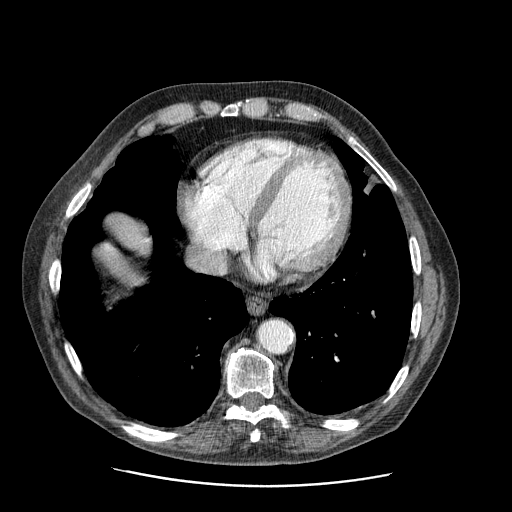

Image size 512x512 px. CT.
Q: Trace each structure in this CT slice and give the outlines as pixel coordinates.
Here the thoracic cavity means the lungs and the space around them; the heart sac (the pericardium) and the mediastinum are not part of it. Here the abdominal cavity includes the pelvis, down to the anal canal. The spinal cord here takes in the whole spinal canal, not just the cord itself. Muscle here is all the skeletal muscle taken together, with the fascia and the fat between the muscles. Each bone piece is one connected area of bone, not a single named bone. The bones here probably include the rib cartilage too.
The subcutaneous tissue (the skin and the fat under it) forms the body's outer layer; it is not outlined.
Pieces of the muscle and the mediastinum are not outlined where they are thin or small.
A: Outlines (x, y in pixels):
thoracic cavity 1: [[153,133],[174,138],[173,153],[182,163],[175,211],[185,237],[186,266],[230,282],[241,291],[249,315],[246,325],[222,346],[220,382],[208,408],[191,422],[173,427],[126,413],[94,389],[67,338],[58,303],[62,246],[70,221],[85,207],[119,153]], around a hole outlined by [[114,210],[127,212],[143,220],[151,237],[152,253],[145,267],[149,271],[149,281],[145,285],[136,288],[129,297],[121,299],[108,310],[104,304],[105,296],[102,292],[103,282],[92,259],[92,248],[105,238],[106,235],[102,228],[102,220],[106,214]]
thoracic cavity 2: [[336,135],[392,193],[407,235],[413,304],[402,364],[388,388],[374,400],[350,411],[324,415],[308,411],[293,400],[288,377],[296,348],[295,326],[286,317],[272,313],[269,305],[276,296],[302,291],[319,278],[338,257],[350,234],[352,186],[333,148]]
spinal cord: [[250,392],[255,392],[256,393],[258,393],[260,394],[263,397],[264,399],[264,402],[262,404],[261,404],[255,410],[250,410],[249,409],[247,409],[242,404],[241,404],[239,402],[239,400],[240,398],[243,395],[244,395],[246,393],[249,393]]
bones 1: [[239,347],[257,350],[274,363],[275,392],[272,400],[285,413],[289,424],[287,428],[284,428],[272,417],[261,419],[256,425],[260,432],[259,440],[256,442],[250,440],[250,433],[254,428],[250,422],[220,418],[230,401],[225,391],[227,359],[230,353]]; inner edge: [[250,392],[255,392],[256,393],[258,393],[260,394],[263,397],[264,399],[264,402],[262,404],[261,404],[255,410],[250,410],[249,409],[247,409],[242,404],[241,404],[239,402],[239,400],[240,398],[243,395],[244,395],[246,393],[249,393]]
bones 2: [[249,97],[263,97],[268,101],[270,113],[262,118],[243,115],[220,116],[217,114],[207,116],[200,114],[171,126],[158,123],[150,134],[144,136],[138,133],[138,129],[142,125],[154,120],[164,109],[174,104],[190,102],[196,105],[206,100],[224,106]]
bones 3: [[113,418],[117,418],[122,420],[131,420],[140,424],[146,424],[149,425],[156,429],[177,431],[180,432],[181,434],[177,437],[161,442],[158,441],[145,441],[136,436],[131,436],[129,435],[120,426],[120,424],[118,422],[113,420]]
bones 4: [[349,136],[353,136],[356,139],[356,140],[359,143],[360,143],[360,144],[363,146],[385,169],[385,170],[390,175],[396,184],[398,192],[396,193],[392,192],[389,187],[381,179],[381,178],[366,162],[366,161],[347,144],[347,140]]
bones 5: [[289,102],[299,102],[300,103],[306,104],[308,106],[319,111],[325,115],[326,116],[326,118],[325,119],[321,119],[320,121],[318,122],[311,122],[310,121],[299,121],[293,118],[286,117],[284,116],[282,113],[282,108],[284,104],[288,103]]
bones 6: [[86,182],[90,182],[92,185],[92,190],[90,194],[88,196],[86,201],[83,204],[83,205],[81,207],[79,211],[70,220],[65,220],[64,219],[64,216],[65,215],[65,212],[68,206],[68,204],[70,202],[73,196]]
bones 7: [[349,417],[356,417],[360,420],[360,424],[357,427],[349,431],[342,431],[341,430],[333,430],[332,429],[329,429],[328,428],[322,427],[320,425],[320,423],[322,421],[322,420],[324,419],[327,419],[328,418],[334,418],[335,419],[345,419]]
bones 8: [[56,257],[57,257],[60,259],[60,263],[61,264],[61,278],[60,279],[60,289],[59,290],[59,293],[57,296],[55,296],[53,294],[53,293],[50,288],[50,286],[49,285],[49,280],[48,279],[48,270],[49,269],[50,264],[51,263],[52,260]]
bones 9: [[411,234],[415,236],[417,240],[417,242],[419,246],[419,250],[420,251],[420,257],[421,258],[421,271],[419,275],[416,275],[414,274],[413,270],[412,269],[412,264],[411,263],[411,256],[410,255],[410,251],[409,250],[409,243],[408,242],[408,237]]
bones 10: [[65,339],[68,340],[68,341],[71,344],[71,345],[73,347],[81,363],[81,365],[82,366],[82,369],[83,370],[82,371],[85,377],[85,380],[82,380],[77,375],[77,374],[74,371],[73,368],[71,366],[65,354],[65,352],[63,348],[63,342]]
bones 11: [[404,363],[409,363],[409,370],[408,371],[408,373],[404,381],[402,383],[400,387],[396,391],[396,392],[385,403],[383,404],[382,403],[382,401],[383,399],[387,395],[387,390],[389,388],[396,374]]
bones 12: [[417,300],[420,300],[421,302],[421,318],[420,319],[420,323],[419,324],[419,329],[418,330],[417,336],[416,338],[412,338],[411,337],[411,332],[410,331],[410,327],[411,326],[411,316],[412,315],[412,309],[413,308],[413,305],[415,301]]
muscle 1: [[177,102],[137,129],[142,136],[118,153],[84,207],[93,190],[90,181],[67,204],[63,219],[69,222],[61,255],[51,260],[47,270],[48,285],[57,297],[59,319],[66,336],[62,342],[64,354],[76,375],[82,381],[86,378],[106,402],[137,419],[168,428],[189,424],[209,408],[218,394],[226,361],[224,391],[229,401],[219,418],[250,423],[252,443],[260,440],[257,425],[263,419],[272,418],[284,429],[290,426],[286,413],[273,400],[276,371],[290,398],[311,413],[325,416],[350,412],[386,391],[381,401],[385,404],[409,373],[410,363],[403,363],[406,348],[410,335],[417,338],[422,318],[422,302],[420,299],[414,302],[413,298],[413,275],[419,276],[422,271],[420,246],[416,236],[406,232],[393,195],[399,190],[386,169],[405,190],[441,267],[446,316],[437,343],[403,399],[379,421],[332,448],[287,452],[249,444],[194,454],[152,446],[132,437],[161,443],[179,437],[180,431],[113,417],[123,433],[78,399],[64,383],[52,358],[38,300],[41,259],[52,223],[75,188],[120,137],[146,115]]; inner edge: [[349,417],[356,417],[360,420],[360,424],[357,427],[349,431],[342,431],[341,430],[333,430],[332,429],[329,429],[328,428],[322,427],[320,425],[320,423],[322,421],[322,420],[324,419],[327,419],[328,418],[334,418],[335,419],[345,419]]
muscle 2: [[259,96],[279,97],[298,101],[289,101],[284,103],[281,108],[281,113],[284,117],[293,119],[299,122],[318,123],[321,120],[325,120],[327,118],[327,116],[319,110],[304,103],[309,103],[322,108],[337,118],[343,125],[352,130],[368,147],[371,153],[353,135],[349,135],[347,137],[346,143],[343,139],[334,133],[333,131],[327,128],[312,124],[306,124],[293,121],[263,118],[271,113],[271,106],[269,101],[265,97]]
muscle 3: [[200,115],[204,115],[208,117],[202,117],[201,118],[199,118],[198,119],[193,120],[181,126],[179,126],[172,130],[168,130],[167,131],[163,131],[162,132],[158,132],[157,133],[155,133],[153,132],[155,130],[156,128],[156,126],[158,124],[163,125],[166,127],[171,127],[172,126],[177,125],[179,123],[181,123],[182,122],[184,122],[185,121],[190,120],[194,118],[196,116],[199,116]]
pericardium: [[255,131],[292,132],[325,144],[334,151],[347,174],[351,186],[350,231],[337,257],[306,288],[276,295],[273,298],[251,294],[235,286],[223,277],[210,272],[195,252],[183,230],[176,211],[177,188],[180,176],[195,156],[201,150],[218,140],[239,133]]
torso: [[254,80],[291,80],[321,87],[351,104],[375,126],[419,183],[448,237],[459,271],[459,308],[439,366],[397,429],[307,463],[239,466],[184,461],[139,449],[114,437],[63,399],[47,371],[23,307],[22,250],[30,223],[47,193],[131,102],[175,84]]
mediastinum 1: [[215,116],[243,116],[252,119],[269,119],[312,125],[330,130],[335,135],[332,140],[332,148],[315,138],[292,131],[255,130],[239,132],[218,139],[201,149],[186,165],[181,174],[183,163],[174,153],[175,138],[170,134],[156,134],[172,131],[202,118]]
mediastinum 2: [[241,290],[251,295],[272,299],[268,305],[268,310],[276,316],[286,318],[294,326],[295,348],[287,377],[291,398],[283,385],[273,360],[257,349],[239,346],[229,353],[225,361],[225,367],[223,369],[220,367],[223,346],[230,338],[238,334],[250,320]]
mediastinum 3: [[184,232],[189,243],[191,245],[197,257],[210,271],[209,272],[215,275],[211,275],[210,274],[207,274],[206,273],[202,273],[201,272],[196,272],[195,271],[193,271],[187,266],[184,260],[184,253],[185,252],[185,246],[186,245],[186,237],[184,234]]
abdominal cavity: [[114,210],[127,212],[143,220],[151,237],[152,253],[145,267],[149,271],[149,281],[145,285],[136,288],[129,297],[121,299],[108,310],[104,304],[105,296],[102,292],[103,282],[92,259],[92,248],[105,238],[106,235],[102,228],[102,220],[106,214]]